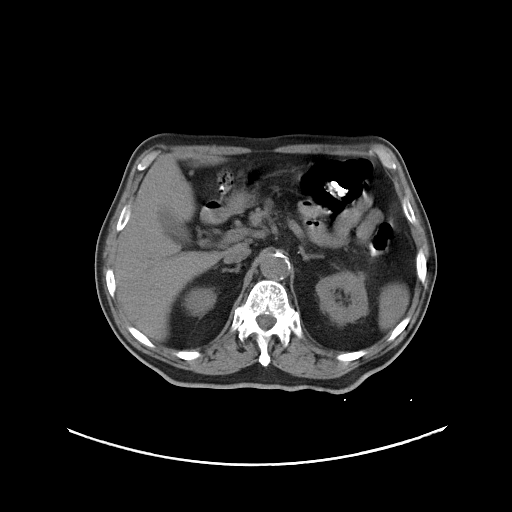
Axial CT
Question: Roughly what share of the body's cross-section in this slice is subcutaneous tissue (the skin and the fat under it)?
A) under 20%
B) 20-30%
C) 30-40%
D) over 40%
Answer: A) under 20%
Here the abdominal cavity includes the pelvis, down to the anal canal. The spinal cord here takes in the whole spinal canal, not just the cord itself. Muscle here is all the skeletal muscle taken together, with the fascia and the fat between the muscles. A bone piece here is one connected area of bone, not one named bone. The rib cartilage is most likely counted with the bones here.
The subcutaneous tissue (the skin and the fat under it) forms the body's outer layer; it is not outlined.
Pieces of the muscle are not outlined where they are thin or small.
Outlined structures:
bones 1: 264,279 275,280 283,285 290,304 299,313 303,332 301,338 291,332 285,347 276,335 272,335 267,344 270,361 266,366 258,360 260,349 256,335 252,333 241,341 238,331 230,330 234,310 245,301 254,284; inner edge: 261,314 265,314 266,315 271,315 275,319 275,322 274,323 274,324 271,327 270,327 268,329 267,329 266,330 265,330 264,329 261,328 259,326 259,325 258,324 258,323 256,320 256,318 259,315 260,315
bones 2: 419,249 422,249 422,250 423,251 423,253 424,254 424,256 426,259 426,267 427,268 427,269 426,270 426,274 425,275 425,283 426,284 426,285 423,285 422,284 422,283 417,277 417,274 416,273 416,253
bones 3: 126,204 130,204 131,206 131,213 130,214 129,219 127,221 124,227 120,231 117,231 116,230 116,225 117,224 117,221 120,215 120,213 121,212 121,210 122,208
bones 4: 375,148 381,148 389,154 389,155 390,156 390,158 395,163 395,165 396,166 395,169 394,169 393,170 392,169 389,169 388,168 385,167 382,164 382,163 381,162 380,159 378,157 377,154 373,150
bones 5: 405,195 407,195 407,197 409,200 409,202 413,210 414,215 417,221 417,223 416,224 413,224 409,222 403,211 403,209 402,208 402,205 401,204 401,200
bones 6: 360,349 365,349 367,351 367,353 356,359 354,359 353,360 350,360 346,362 345,361 341,361 340,360 338,360 336,358 336,356 340,353 347,353 351,351 355,351 356,350 359,350
bones 7: 128,326 132,326 133,327 136,328 140,332 141,332 144,335 145,335 150,340 150,341 154,344 154,345 155,346 153,348 152,348 151,347 146,346 142,343 141,343 131,334 131,333 128,330
bones 8: 108,268 111,268 113,270 113,275 114,276 114,279 115,280 115,293 113,297 112,297 110,295 109,293 109,291 108,290 108,288 107,287 107,284 106,283 106,278 105,277 105,275 106,274 106,271
bones 9: 406,316 408,316 409,317 409,321 408,322 407,325 404,328 404,329 398,335 397,335 392,340 391,340 390,341 388,341 387,340 387,338 389,336 389,335 390,334 390,333 392,331 392,330 397,325 397,324
bones 10: 178,350 195,350 196,351 198,351 199,352 200,352 201,355 199,357 198,357 197,358 195,358 194,359 191,359 190,360 186,360 185,359 180,358 179,357 176,356 174,354 174,352 175,351 177,351
bones 11: 153,151 158,151 158,153 157,154 157,155 151,161 151,162 147,166 147,167 145,169 144,169 143,170 138,170 137,169 137,166 138,165 138,164 143,159 143,158 146,155 147,155 149,153 150,153
mediastinum: 268,253 282,254 287,259 288,262 288,272 289,273 289,285 292,295 292,305 290,302 288,292 284,285 275,279 267,279 266,278 260,279 253,284 247,292 243,302 244,296 253,278 254,273 260,263 260,261
spinal cord: 261,314 265,314 266,315 271,315 275,319 275,322 274,323 274,324 271,327 270,327 268,329 267,329 266,330 265,330 264,329 261,328 259,326 259,325 258,324 258,323 256,320 256,318 259,315 260,315
torso: 165,131 246,136 374,134 390,141 401,154 424,207 437,254 437,275 427,309 403,350 357,387 340,394 313,389 184,387 170,383 135,357 117,338 102,311 96,291 94,255 102,222 132,152 147,137
muscle: 160,143 260,150 293,144 378,143 389,148 416,203 430,253 425,295 403,339 383,354 335,378 298,377 269,364 268,344 272,336 285,348 291,333 301,339 304,332 321,348 339,353 335,358 346,363 366,355 366,348 388,335 386,340 392,341 408,325 416,279 427,285 427,259 422,248 416,250 412,237 409,223 416,225 418,221 408,195 400,200 381,165 393,171 397,167 387,151 375,147 372,150 377,157 263,151 177,158 158,155 159,151 153,150 137,164 136,169 143,171 134,198 131,205 126,203 121,208 116,221 119,235 113,268 108,267 104,275 108,293 112,298 115,294 130,324 127,330 146,347 153,349 156,344 171,348 177,350 173,352 176,357 190,361 202,355 194,349 214,343 229,327 231,332 237,331 241,342 255,335 259,363 229,374 202,374 173,366 133,346 118,328 107,301 102,283 102,256 111,219 135,160
abdominal cavity: 263,152 376,157 394,185 415,246 415,285 407,314 370,346 334,352 305,333 293,307 288,259 277,252 268,252 259,261 231,323 206,346 175,349 154,343 124,315 116,296 114,256 144,170 164,155 186,159